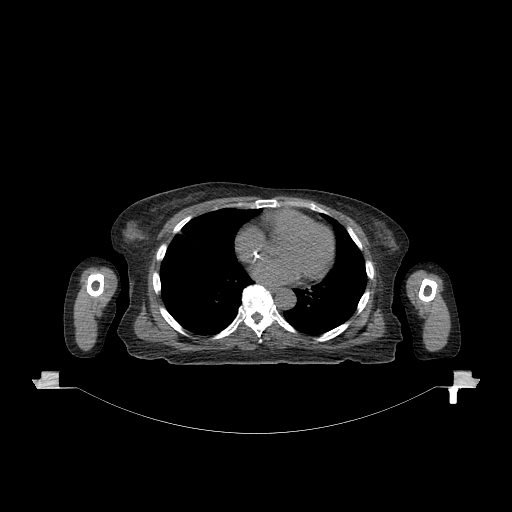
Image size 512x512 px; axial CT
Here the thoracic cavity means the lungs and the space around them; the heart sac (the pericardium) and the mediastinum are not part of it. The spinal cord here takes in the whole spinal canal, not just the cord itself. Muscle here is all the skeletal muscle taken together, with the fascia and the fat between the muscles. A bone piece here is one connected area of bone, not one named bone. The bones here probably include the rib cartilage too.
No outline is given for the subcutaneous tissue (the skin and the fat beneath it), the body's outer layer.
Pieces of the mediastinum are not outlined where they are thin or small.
{"mediastinum":[[[261,284],[263,284],[267,286],[277,286],[278,287],[295,288],[293,289],[293,291],[297,299],[297,301],[295,305],[292,308],[285,310],[282,313],[282,314],[280,313],[274,302],[274,299],[272,296],[271,292],[267,288],[266,288],[262,284]],[[264,208],[277,208],[276,208],[275,209],[272,209],[271,210],[269,210],[268,211],[266,211],[265,212],[262,213],[259,216],[258,216],[257,217],[248,221],[251,218],[252,218],[253,217],[256,216],[258,214],[259,214],[261,212],[262,209],[263,209]]],"thoracic_cavity":[[[223,208],[261,209],[259,213],[240,226],[233,241],[236,258],[254,283],[248,284],[242,289],[240,297],[241,302],[237,312],[224,328],[212,335],[193,333],[185,329],[164,305],[161,295],[162,286],[159,272],[161,262],[174,236],[191,219],[206,212]],[[319,213],[332,217],[345,228],[364,259],[367,280],[365,289],[357,302],[355,311],[349,318],[329,330],[318,335],[314,335],[297,330],[283,316],[283,313],[292,309],[298,301],[294,289],[303,289],[319,283],[335,265],[336,238],[334,230],[332,226]]],"left_arm":[[[423,260],[429,260],[437,263],[448,273],[451,280],[460,323],[461,345],[458,353],[455,356],[450,358],[437,358],[429,360],[420,360],[415,356],[413,351],[412,335],[406,318],[405,310],[400,297],[400,284],[401,280],[407,270],[417,262]]],"right_arm":[[[90,256],[101,256],[108,259],[114,264],[119,272],[121,280],[121,290],[116,300],[115,315],[106,334],[105,340],[101,350],[93,357],[81,358],[71,354],[65,344],[63,334],[63,306],[64,305],[65,294],[68,286],[69,277],[72,270],[81,260]]],"torso":[[[206,181],[329,191],[369,203],[396,221],[408,236],[409,248],[393,284],[392,311],[401,323],[403,336],[396,345],[394,360],[371,364],[348,359],[335,364],[172,364],[130,355],[117,335],[129,303],[127,264],[112,247],[111,226],[121,211],[139,199]]],"muscle":[[[278,195],[310,199],[321,203],[347,215],[362,228],[370,243],[370,251],[380,276],[376,299],[385,322],[385,333],[374,341],[336,350],[285,349],[260,345],[253,350],[242,350],[236,346],[230,349],[180,351],[159,342],[150,342],[139,338],[133,330],[133,322],[141,310],[144,300],[156,235],[168,219],[186,207],[216,198],[236,196],[260,198],[216,204],[211,210],[193,217],[188,214],[172,228],[171,232],[174,235],[169,243],[162,242],[156,250],[155,259],[160,262],[160,266],[159,271],[155,270],[152,273],[152,288],[156,295],[160,294],[161,296],[163,305],[161,304],[158,310],[164,320],[185,337],[190,336],[188,331],[193,334],[211,336],[210,339],[213,341],[230,335],[243,324],[254,332],[259,344],[263,342],[263,332],[274,323],[293,334],[298,331],[313,335],[314,341],[333,339],[350,325],[350,317],[355,312],[358,315],[369,300],[371,292],[366,288],[367,281],[368,279],[372,280],[375,274],[373,262],[365,259],[362,254],[362,242],[351,226],[345,227],[315,202],[280,200],[273,197]],{"outer":[[421,269],[427,272],[435,273],[440,276],[443,280],[444,289],[442,292],[442,296],[450,315],[451,327],[448,335],[447,343],[444,347],[436,351],[429,351],[426,349],[422,339],[424,319],[419,316],[418,311],[411,303],[406,292],[407,279],[413,272]],"hole":[[424,278],[429,278],[430,279],[432,279],[433,280],[434,280],[437,284],[437,287],[436,288],[435,295],[434,296],[433,299],[432,299],[430,301],[427,301],[426,302],[421,300],[418,296],[418,292],[419,291],[419,288],[420,287],[421,282]]},{"outer":[[90,266],[105,266],[111,269],[117,278],[117,286],[110,300],[102,310],[101,316],[97,320],[97,336],[94,345],[89,350],[84,351],[79,348],[75,341],[74,334],[75,328],[73,323],[73,306],[77,293],[80,289],[79,279],[81,273],[84,269]],"hole":[[94,272],[100,272],[102,274],[103,274],[103,276],[104,277],[104,283],[103,284],[103,291],[98,296],[92,296],[91,295],[90,295],[87,292],[87,290],[86,289],[86,283],[87,282],[87,278],[88,277],[88,276],[91,273],[93,273]]}],"bones":[{"outer":[[252,284],[260,284],[270,292],[279,313],[297,332],[293,333],[288,331],[274,322],[266,327],[262,332],[262,342],[259,343],[255,332],[249,326],[241,323],[230,334],[218,339],[211,339],[213,335],[224,329],[234,319],[242,302],[241,297],[243,289]],"hole":[[256,312],[257,312],[258,313],[259,313],[262,316],[262,317],[261,318],[261,319],[260,320],[259,320],[258,321],[255,321],[254,320],[254,319],[252,317],[252,315],[254,313],[255,313]]},[[261,198],[264,199],[275,198],[280,201],[290,200],[291,201],[313,202],[319,207],[327,211],[330,215],[317,212],[305,207],[295,206],[264,207],[263,208],[223,207],[212,210],[213,207],[216,205],[222,205],[226,203],[232,203],[239,201],[253,201]],[[94,272],[100,272],[102,274],[103,274],[103,276],[104,277],[104,283],[103,284],[103,291],[98,296],[92,296],[91,295],[90,295],[87,292],[87,290],[86,289],[86,283],[87,282],[87,278],[88,277],[88,276],[91,273],[93,273]],[[424,278],[429,278],[430,279],[432,279],[433,280],[434,280],[437,284],[437,287],[436,288],[435,295],[434,296],[433,299],[432,299],[430,301],[427,301],[426,302],[421,300],[418,296],[418,292],[419,291],[419,288],[420,287],[421,282]],[[347,320],[349,320],[350,321],[350,323],[349,324],[349,325],[341,333],[340,333],[338,335],[335,336],[333,338],[331,338],[328,340],[314,340],[313,339],[313,338],[315,336],[318,336],[327,331],[329,331],[331,329],[340,325],[342,323],[345,322]],[[161,305],[164,306],[164,307],[173,317],[173,318],[179,324],[180,324],[180,325],[185,330],[186,330],[186,331],[188,333],[189,336],[185,336],[184,335],[181,334],[175,329],[174,329],[165,320],[165,319],[160,313],[160,311],[159,310],[159,307]],[[366,289],[368,289],[370,292],[369,293],[369,297],[368,298],[368,300],[367,301],[367,302],[366,303],[364,308],[358,314],[356,314],[356,308],[357,307],[357,305],[358,304],[358,302],[359,301],[361,296],[363,294],[363,293],[365,291],[365,290]],[[155,271],[156,271],[157,272],[158,272],[159,273],[159,279],[160,280],[160,285],[161,286],[161,289],[160,290],[160,293],[159,293],[158,294],[156,294],[155,293],[155,292],[154,291],[154,289],[153,288],[153,273]],[[188,215],[191,215],[192,216],[192,218],[191,218],[181,228],[181,229],[177,233],[176,233],[175,234],[174,234],[172,232],[172,231],[173,230],[173,228],[175,226],[175,225],[178,222],[179,222],[182,219],[183,219],[185,217],[186,217]],[[347,226],[349,226],[352,228],[353,231],[355,233],[355,234],[361,242],[361,244],[362,245],[362,249],[361,250],[360,250],[359,249],[359,248],[357,246],[357,245],[354,242],[354,241],[348,233],[348,232],[346,229],[346,227]],[[365,260],[370,260],[372,262],[372,265],[373,266],[373,268],[374,269],[374,274],[373,275],[373,278],[372,279],[369,279],[367,277],[367,274],[366,273],[366,268],[365,267]],[[162,243],[165,243],[167,245],[167,247],[166,248],[166,250],[165,251],[165,253],[164,254],[164,256],[163,257],[163,258],[162,259],[162,260],[161,261],[158,261],[156,259],[156,253],[157,252],[157,250],[158,250],[161,247],[161,244]]],"spinal_cord":[[[256,312],[257,312],[258,313],[259,313],[262,316],[262,317],[261,318],[261,319],[260,320],[259,320],[258,321],[255,321],[254,320],[254,319],[252,317],[252,315],[254,313],[255,313]]],"pericardium":[[[283,207],[293,207],[310,211],[316,214],[331,226],[333,230],[335,238],[335,261],[331,269],[319,281],[308,285],[296,287],[267,285],[263,283],[259,283],[255,281],[246,271],[236,255],[234,241],[238,230],[244,224],[259,217],[262,214]]]}